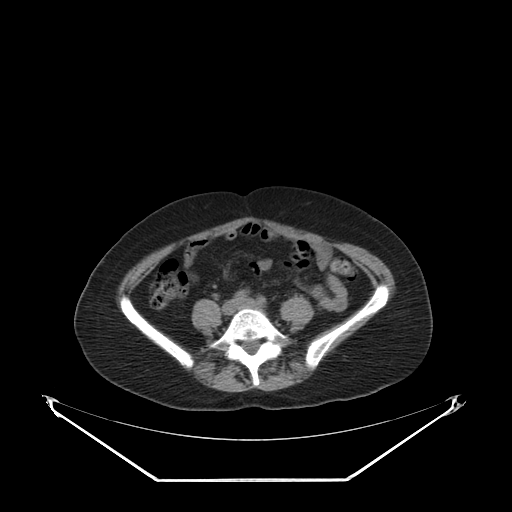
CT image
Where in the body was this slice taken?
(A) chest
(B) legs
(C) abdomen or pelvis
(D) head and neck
Answer: (C) abdomen or pelvis
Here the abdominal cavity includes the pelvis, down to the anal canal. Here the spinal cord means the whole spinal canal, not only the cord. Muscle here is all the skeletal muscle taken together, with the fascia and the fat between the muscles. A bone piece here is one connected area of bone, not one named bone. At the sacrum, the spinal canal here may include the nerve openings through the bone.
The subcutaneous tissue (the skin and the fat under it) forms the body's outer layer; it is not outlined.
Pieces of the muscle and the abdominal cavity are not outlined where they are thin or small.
Outlined structures:
muscle 1: (294, 295) (301, 295) (309, 301) (313, 308) (313, 315) (301, 329) (290, 335) (293, 337) (311, 338) (341, 322) (359, 309) (344, 322) (313, 338) (308, 343) (304, 362) (309, 369) (315, 370) (309, 378) (272, 391) (253, 388) (228, 392) (203, 385) (184, 369) (190, 369) (194, 365) (194, 359) (187, 350) (173, 340) (188, 347) (200, 346) (206, 342) (208, 337) (193, 325) (191, 319) (194, 304) (206, 298) (215, 302) (221, 313) (221, 323) (212, 332) (215, 339) (208, 346) (211, 349) (224, 351) (228, 360) (237, 361) (245, 366) (250, 374) (252, 385) (257, 387) (260, 384) (259, 367) (266, 361) (278, 357) (282, 353) (282, 348) (290, 342) (286, 334) (290, 333) (290, 325) (280, 317) (279, 309) (282, 302)
muscle 2: (246, 216) (272, 220) (313, 232) (329, 239) (345, 241) (366, 249) (378, 257) (388, 267) (394, 278) (395, 293) (391, 301) (384, 307) (388, 302) (390, 291) (389, 287) (382, 282) (376, 286) (370, 296) (374, 289) (371, 279) (349, 255) (338, 248) (278, 236) (263, 224) (250, 222) (217, 236) (188, 240) (164, 256) (133, 289) (130, 298) (125, 294) (120, 297) (119, 308) (122, 314) (118, 311) (115, 301) (117, 288) (125, 274) (143, 257) (186, 236)
muscle 3: (374, 314) (375, 314) (364, 325) (356, 330) (351, 335) (350, 335) (340, 344) (339, 344) (335, 348) (333, 352) (331, 352) (321, 361) (322, 358) (329, 350) (331, 345) (337, 339) (337, 338) (338, 338) (343, 333) (347, 331) (356, 323)
abdominal cavity: (250, 223) (349, 256) (373, 289) (347, 317) (311, 337) (293, 336) (314, 315) (310, 301) (294, 294) (278, 309) (289, 333) (262, 309) (248, 306) (238, 309) (215, 338) (220, 306) (202, 297) (190, 319) (207, 337) (188, 346) (134, 306) (132, 292) (164, 257) (188, 241)
bones 1: (248, 307) (262, 310) (273, 325) (289, 338) (288, 344) (281, 348) (281, 353) (278, 356) (266, 360) (258, 367) (257, 372) (259, 384) (257, 386) (253, 385) (251, 374) (245, 365) (237, 360) (228, 359) (224, 350) (211, 348) (209, 346) (223, 334) (232, 316) (238, 310) with a hole at (254, 340) (259, 340) (259, 341) (260, 342) (259, 343) (259, 346) (258, 347) (258, 348) (257, 349) (257, 350) (253, 354) (250, 354) (249, 353) (248, 353) (243, 348) (243, 347) (242, 346) (242, 342) (244, 342) (245, 341) (253, 341)
bones 2: (381, 283) (385, 284) (388, 287) (389, 291) (386, 304) (375, 313) (356, 322) (347, 330) (343, 332) (330, 345) (328, 350) (321, 358) (315, 369) (312, 370) (309, 368) (305, 362) (305, 356) (309, 343) (313, 339) (331, 331) (349, 319) (365, 304) (373, 294) (377, 286)
bones 3: (124, 295) (127, 296) (130, 299) (136, 310) (150, 324) (179, 345) (183, 349) (187, 351) (191, 355) (194, 362) (193, 365) (190, 368) (186, 368) (182, 366) (174, 357) (157, 345) (152, 340) (148, 338) (135, 325) (131, 323) (127, 319) (121, 311) (120, 308) (120, 299)
torso: (270, 184) (302, 186) (338, 196) (382, 221) (406, 244) (422, 270) (433, 319) (430, 345) (420, 365) (401, 381) (367, 396) (275, 410) (173, 409) (124, 390) (100, 376) (81, 351) (73, 318) (87, 279) (107, 250) (146, 215) (174, 199) (220, 189) (246, 193)
spinal cord: (254, 340) (259, 340) (259, 341) (260, 342) (259, 343) (259, 346) (258, 347) (258, 348) (257, 349) (257, 350) (253, 354) (250, 354) (249, 353) (248, 353) (243, 348) (243, 347) (242, 346) (242, 342) (244, 342) (245, 341) (253, 341)